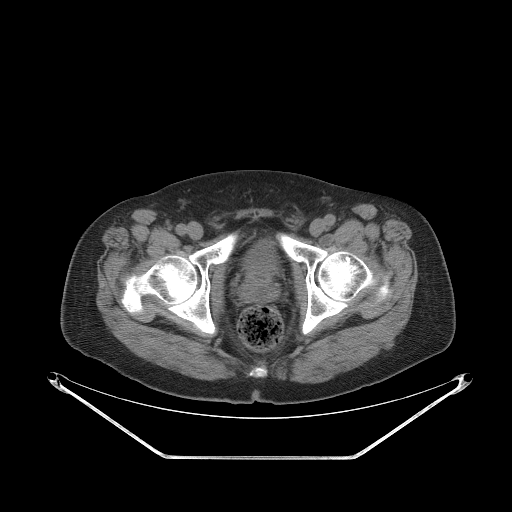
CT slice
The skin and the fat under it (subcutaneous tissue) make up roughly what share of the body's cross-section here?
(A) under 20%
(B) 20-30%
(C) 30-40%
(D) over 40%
Answer: (C) 30-40%
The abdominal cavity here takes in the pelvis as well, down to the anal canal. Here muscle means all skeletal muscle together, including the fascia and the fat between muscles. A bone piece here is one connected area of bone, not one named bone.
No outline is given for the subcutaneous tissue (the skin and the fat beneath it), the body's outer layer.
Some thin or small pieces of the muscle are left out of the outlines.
The abdominal cavity is outlined by 261,218 278,219 286,230 276,232 275,237 290,261 295,299 284,342 268,358 251,355 236,335 228,314 224,312 226,262 241,237 238,230 232,231 227,228 227,225 230,220 249,219 250,222 254,222. The torso is outlined by 236,169 297,172 349,188 392,196 416,208 438,238 452,283 456,328 450,345 443,352 382,382 331,398 279,405 258,401 234,404 166,394 123,376 72,348 61,332 60,304 72,251 88,224 124,199 200,174. The muscle is outlined by 358,203 377,204 411,226 409,245 415,253 418,278 411,315 391,349 331,379 318,383 281,380 267,376 264,364 250,369 248,377 210,381 186,376 131,352 107,329 97,308 97,261 104,250 101,237 113,220 132,210 155,210 159,213 159,222 169,231 184,242 196,242 216,234 225,212 251,207 278,210 289,223 299,226 301,234 319,236 338,224, around holes outlined by 261,218 278,219 285,233 329,253 355,254 379,278 380,285 388,277 391,293 385,300 376,301 376,286 365,287 341,311 303,334 307,267 290,259 295,304 284,342 268,358 251,355 224,312 225,262 208,268 213,334 168,310 153,294 141,297 140,313 124,308 124,282 131,274 144,273 167,254 186,257 217,242 232,231 227,228 230,220 254,222 and by 226,331 227,333 227,337 229,339 229,342 230,344 232,345 232,346 234,347 241,355 242,355 241,356 239,355 236,355 233,353 231,353 227,351 225,349 224,349 223,347 223,343 224,342 224,339 225,338 and by 291,343 293,343 295,345 294,346 294,347 290,351 284,351 284,350 283,349 284,349 285,348 285,347 286,347 288,345 290,345 291,344. The bones appear in 3 outlined pieces: piece 1: 233,231 238,231 240,237 228,259 223,263 211,264 208,268 209,308 216,329 213,334 201,331 190,321 168,310 153,294 141,297 143,311 140,313 130,313 124,308 121,298 128,276 144,273 167,254 186,257; piece 2: 278,232 327,249 329,253 348,251 355,254 379,278 380,285 383,278 388,277 390,296 377,302 377,287 365,287 341,311 323,319 310,332 303,334 301,330 307,309 307,267 303,262 288,257 276,237; piece 3: 262,365 264,365 266,367 266,368 267,369 267,375 265,377 253,377 252,376 249,376 248,375 248,373 250,371 250,370 251,370 253,368 254,368 255,367 256,367 257,366 261,366.